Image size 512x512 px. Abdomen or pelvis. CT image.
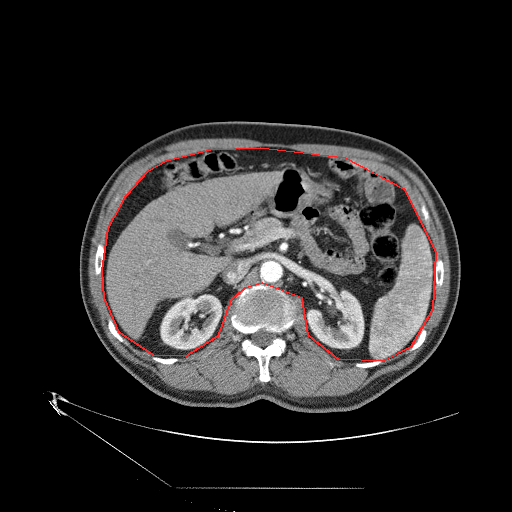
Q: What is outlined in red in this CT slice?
A: red: abdominal cavity.
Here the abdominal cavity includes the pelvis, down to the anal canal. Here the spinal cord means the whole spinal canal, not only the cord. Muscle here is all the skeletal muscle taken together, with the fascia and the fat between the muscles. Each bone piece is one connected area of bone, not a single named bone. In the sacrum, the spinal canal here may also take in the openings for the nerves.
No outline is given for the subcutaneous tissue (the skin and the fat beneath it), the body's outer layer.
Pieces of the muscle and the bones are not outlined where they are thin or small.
{"abdominal_cavity":[[[260,147],[345,157],[403,188],[435,251],[432,309],[410,347],[383,361],[338,359],[308,335],[302,298],[262,283],[244,288],[230,300],[217,336],[185,356],[153,355],[119,332],[104,297],[102,270],[108,228],[126,195],[148,170],[166,160],[210,149]]],"spinal_cord":[[[260,329],[264,329],[268,332],[273,332],[274,333],[275,333],[275,334],[276,335],[276,336],[272,340],[271,343],[270,343],[268,345],[267,345],[264,347],[261,347],[260,346],[253,343],[253,342],[251,340],[251,335],[255,332],[258,331]]],"muscle":[{"outer":[[200,138],[245,138],[267,143],[283,143],[284,144],[316,143],[317,144],[331,144],[332,145],[339,145],[340,146],[349,146],[354,148],[359,148],[360,149],[373,151],[388,156],[396,162],[402,164],[413,171],[422,180],[432,198],[435,208],[438,213],[444,229],[445,237],[446,238],[446,244],[449,255],[450,281],[449,282],[448,299],[441,320],[435,329],[433,330],[433,333],[429,342],[409,364],[399,370],[396,370],[389,374],[384,374],[372,380],[360,390],[356,390],[348,394],[340,395],[339,396],[290,397],[284,395],[281,392],[278,391],[273,385],[268,383],[264,386],[260,384],[256,384],[252,388],[248,389],[246,391],[239,392],[235,394],[220,394],[216,392],[205,391],[204,390],[182,390],[169,386],[163,382],[158,376],[153,374],[150,370],[138,364],[135,364],[125,358],[115,348],[107,337],[101,325],[98,312],[92,303],[91,294],[89,289],[88,263],[89,262],[91,239],[94,234],[95,227],[102,204],[110,188],[119,174],[130,163],[157,149],[164,147],[169,144],[182,140],[199,139]],"holes":[[[260,147],[345,157],[371,172],[397,181],[417,210],[419,197],[423,200],[430,216],[428,231],[435,259],[442,260],[444,271],[441,286],[435,287],[432,309],[423,326],[426,337],[421,345],[410,351],[408,348],[375,366],[357,367],[355,362],[334,357],[308,335],[304,303],[295,294],[290,296],[295,305],[294,322],[281,334],[286,348],[280,356],[270,358],[270,380],[267,382],[259,379],[258,360],[241,349],[246,336],[231,323],[233,300],[224,308],[217,336],[202,349],[178,357],[179,360],[171,364],[154,360],[148,351],[134,347],[125,338],[122,342],[111,333],[103,274],[95,274],[95,254],[99,243],[106,244],[110,223],[130,190],[148,170],[169,159],[210,149]],[[116,194],[118,194],[119,195],[119,199],[117,201],[117,202],[116,202],[113,205],[113,206],[112,207],[111,207],[110,208],[109,207],[110,206],[110,203],[112,201],[112,199],[114,197],[114,196]]]}],"torso":[[[210,121],[318,125],[381,139],[408,154],[444,201],[457,235],[461,264],[452,319],[441,342],[422,365],[361,408],[303,413],[265,399],[237,407],[180,405],[140,383],[110,355],[96,335],[81,297],[79,255],[97,194],[117,166],[142,144],[174,128]]],"bones":[{"outer":[[260,284],[284,291],[295,305],[294,322],[281,334],[286,342],[285,351],[280,356],[270,358],[268,363],[270,380],[267,382],[262,382],[259,379],[258,360],[254,356],[247,356],[241,349],[241,343],[246,336],[235,329],[231,323],[234,301],[244,289]],"hole":[[260,329],[264,329],[268,332],[273,332],[274,333],[275,333],[275,334],[276,335],[276,336],[272,340],[271,343],[270,343],[268,345],[267,345],[264,347],[261,347],[260,346],[253,343],[253,342],[251,340],[251,335],[255,332],[258,331]]},[[99,243],[102,243],[104,245],[104,250],[105,251],[105,253],[104,254],[104,261],[103,262],[103,266],[101,270],[101,273],[98,275],[96,275],[95,274],[95,268],[94,267],[94,262],[95,261],[95,254],[96,253],[96,250],[97,249],[97,245]],[[437,259],[441,259],[442,260],[442,261],[443,262],[443,270],[444,271],[443,272],[443,282],[442,283],[442,284],[441,285],[441,286],[436,286],[436,282],[435,281],[435,270],[434,269],[435,268],[435,263],[436,262],[436,260]],[[419,197],[420,197],[423,200],[429,212],[429,215],[430,216],[430,222],[428,226],[428,229],[426,224],[424,222],[424,220],[423,219],[423,216],[420,210],[418,209],[418,199]],[[109,318],[111,318],[111,319],[112,320],[112,321],[113,322],[116,329],[118,331],[118,332],[123,337],[123,338],[124,339],[124,342],[122,342],[121,341],[120,341],[118,339],[117,339],[111,333],[111,332],[109,330],[109,328],[108,327],[108,319]],[[422,329],[425,329],[425,330],[426,331],[426,337],[425,338],[425,340],[421,344],[421,345],[420,345],[417,348],[416,348],[413,350],[411,350],[410,351],[409,350],[409,349],[412,346],[412,345],[417,339],[417,338],[418,337],[418,336]],[[153,356],[156,356],[157,357],[161,357],[162,358],[168,358],[169,357],[171,357],[172,358],[177,358],[179,359],[179,360],[171,364],[166,364],[165,363],[158,362],[154,360],[152,358]],[[374,361],[380,361],[381,362],[379,364],[378,364],[377,365],[376,365],[375,366],[373,366],[372,367],[366,367],[365,368],[364,367],[357,367],[356,366],[355,366],[355,364],[356,363],[357,363],[358,362],[373,362]]]}